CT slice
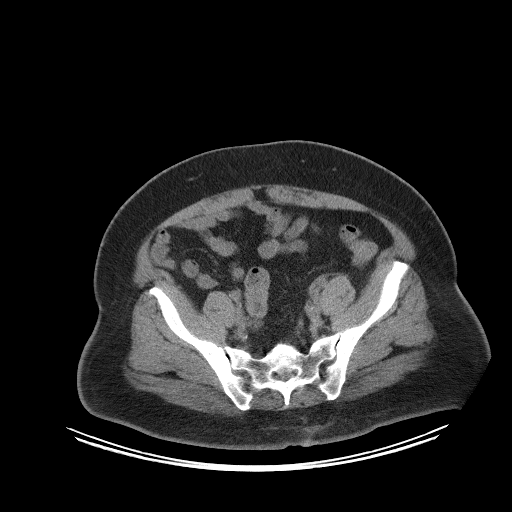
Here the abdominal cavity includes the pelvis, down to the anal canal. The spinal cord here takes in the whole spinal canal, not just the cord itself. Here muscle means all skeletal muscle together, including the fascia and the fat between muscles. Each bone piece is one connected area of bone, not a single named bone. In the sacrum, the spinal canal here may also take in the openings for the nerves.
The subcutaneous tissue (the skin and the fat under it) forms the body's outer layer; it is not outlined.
{"spinal_cord":[[[285,373],[289,373],[290,374],[291,374],[291,375],[290,376],[290,377],[287,380],[285,380],[284,381],[283,380],[281,380],[280,379],[279,379],[278,378],[277,378],[277,375],[282,375],[283,374],[284,374]]],"bones":[{"outer":[[394,260],[409,268],[391,307],[353,348],[338,397],[327,400],[316,380],[294,389],[286,408],[283,395],[265,387],[252,392],[248,410],[239,409],[148,293],[160,287],[184,325],[219,346],[262,357],[280,341],[306,352],[316,339],[371,314]],"hole":[[285,373],[289,373],[290,374],[291,374],[291,375],[290,376],[290,377],[287,380],[285,380],[284,381],[283,380],[281,380],[280,379],[279,379],[278,378],[277,378],[277,375],[282,375],[283,374],[284,374]]}],"torso":[[[287,139],[327,143],[375,161],[410,183],[438,215],[455,251],[458,286],[478,317],[491,351],[462,406],[380,426],[342,441],[275,450],[167,441],[88,412],[78,396],[76,372],[98,315],[93,293],[96,256],[116,211],[147,180],[188,157],[221,147]]],"abdominal_cavity":[[[250,199],[366,212],[392,236],[357,296],[346,275],[325,284],[319,307],[330,317],[333,333],[316,338],[306,351],[280,340],[262,356],[254,356],[226,344],[226,328],[238,317],[231,298],[223,291],[210,291],[199,310],[173,277],[150,259],[156,232]]],"muscle":[{"outer":[[263,183],[290,184],[335,193],[339,195],[349,197],[387,216],[391,221],[396,223],[405,232],[414,244],[417,252],[417,256],[413,264],[415,267],[415,270],[421,279],[424,288],[425,296],[428,304],[428,309],[426,313],[427,317],[431,322],[436,333],[436,335],[431,343],[432,345],[434,345],[429,349],[429,351],[426,354],[424,362],[425,363],[422,366],[409,372],[401,380],[392,385],[380,388],[376,391],[361,396],[356,399],[348,401],[341,401],[340,402],[327,401],[308,407],[292,408],[278,411],[273,411],[272,410],[250,410],[241,416],[222,416],[217,414],[211,414],[206,412],[190,409],[184,406],[167,402],[159,396],[151,392],[138,390],[130,385],[122,373],[123,372],[122,365],[126,361],[126,358],[130,350],[131,345],[131,338],[130,337],[131,315],[133,306],[138,297],[138,290],[133,284],[132,275],[135,267],[134,264],[135,255],[142,241],[142,239],[151,229],[163,221],[167,217],[180,209],[204,197],[219,192],[222,192],[228,189],[248,186],[252,184],[262,184]],"hole":[[250,199],[366,212],[391,234],[357,296],[346,275],[325,284],[319,307],[334,333],[371,314],[394,260],[409,265],[334,400],[316,380],[286,408],[265,387],[239,409],[148,293],[160,287],[194,335],[225,345],[231,298],[210,291],[199,310],[149,245]]}]}